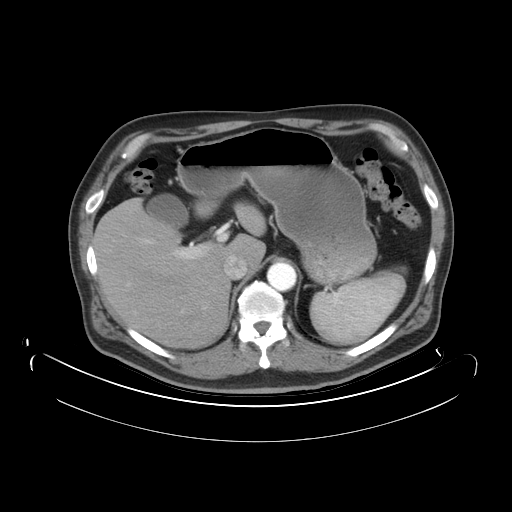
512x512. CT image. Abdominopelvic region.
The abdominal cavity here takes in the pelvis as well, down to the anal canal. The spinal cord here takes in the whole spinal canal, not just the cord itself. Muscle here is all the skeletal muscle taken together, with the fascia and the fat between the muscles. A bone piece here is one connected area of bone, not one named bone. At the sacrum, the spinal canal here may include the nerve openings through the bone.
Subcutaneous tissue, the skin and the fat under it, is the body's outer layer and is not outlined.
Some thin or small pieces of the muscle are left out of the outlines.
{"muscle":[{"outer":[[284,117],[387,121],[399,127],[422,154],[445,209],[445,237],[428,321],[362,361],[341,370],[285,372],[270,367],[267,355],[270,346],[278,341],[289,346],[289,331],[301,337],[295,324],[308,338],[320,344],[348,348],[342,352],[350,357],[384,342],[397,329],[398,325],[393,322],[411,303],[422,279],[426,285],[435,271],[437,259],[431,244],[431,210],[436,210],[439,203],[434,190],[427,183],[422,183],[412,164],[391,151],[374,131],[325,134],[311,128],[260,122],[191,139],[154,142],[143,147],[151,133],[136,135],[120,153],[119,156],[127,161],[115,175],[105,196],[102,187],[94,191],[85,201],[84,211],[87,214],[95,212],[91,244],[85,252],[87,268],[93,277],[96,276],[109,307],[138,344],[172,360],[175,356],[168,350],[195,352],[209,348],[226,335],[231,324],[231,331],[236,332],[241,350],[249,342],[258,347],[260,355],[257,363],[261,368],[219,379],[192,377],[165,367],[121,341],[100,335],[91,323],[90,293],[81,268],[79,210],[84,195],[112,150],[126,135],[140,130]],"hole":[[370,123],[379,123],[383,125],[389,126],[392,128],[395,131],[396,135],[399,138],[402,139],[407,144],[408,146],[408,150],[406,152],[401,153],[393,149],[393,147],[389,141],[387,136],[385,134],[383,134],[377,130],[370,128],[368,126]]}],"spinal_cord":[[[261,321],[264,321],[265,322],[267,322],[268,323],[269,323],[269,326],[268,327],[268,328],[265,331],[265,332],[263,334],[261,334],[255,328],[255,327],[254,326],[254,325],[256,323],[257,323],[258,322],[260,322]]],"torso":[[[334,103],[371,104],[400,114],[423,137],[442,173],[453,207],[454,243],[440,322],[434,337],[417,352],[349,383],[263,396],[200,393],[172,387],[99,352],[88,340],[83,327],[69,261],[68,216],[76,188],[106,138],[125,122],[154,113],[263,111]]],"bones":[{"outer":[[254,280],[268,284],[281,294],[285,301],[284,316],[291,316],[300,335],[298,337],[289,330],[289,345],[278,340],[266,349],[268,368],[262,368],[258,363],[259,347],[249,341],[241,349],[237,332],[232,331],[232,321],[238,316],[237,299],[244,287]],"hole":[[261,321],[264,321],[265,322],[267,322],[268,323],[269,323],[269,326],[268,327],[268,328],[265,331],[265,332],[263,334],[261,334],[255,328],[255,327],[254,326],[254,325],[256,323],[257,323],[258,322],[260,322]]},[[392,323],[395,323],[397,325],[396,329],[384,341],[378,344],[376,346],[356,356],[350,356],[349,355],[346,355],[343,352],[349,348],[351,348],[354,346],[357,346],[365,342],[367,340],[368,340],[370,338],[371,338],[373,336],[383,330],[387,326]],[[370,123],[379,123],[383,125],[389,126],[392,128],[395,131],[396,135],[399,138],[402,139],[407,144],[408,146],[408,150],[406,152],[401,153],[393,149],[393,147],[389,141],[387,136],[385,134],[383,134],[377,130],[370,128],[368,126]],[[128,327],[135,330],[146,338],[149,339],[151,341],[154,342],[156,344],[166,349],[174,356],[174,358],[172,359],[171,358],[168,358],[167,357],[165,357],[164,356],[159,355],[149,350],[147,348],[144,347],[142,345],[138,343],[127,332],[126,329]],[[144,133],[150,133],[150,136],[144,142],[141,148],[137,152],[137,153],[131,159],[129,160],[122,158],[120,156],[120,155],[123,151],[125,146],[128,143],[128,142],[136,136],[138,135],[140,135],[141,134],[143,134]],[[431,245],[433,247],[434,251],[435,252],[436,263],[435,264],[435,268],[434,269],[434,271],[430,279],[428,281],[428,282],[426,284],[425,284],[423,281],[423,272],[424,271],[424,267],[425,266],[425,263],[426,262],[426,258],[428,254],[428,251]],[[101,188],[102,188],[104,190],[104,198],[103,199],[102,202],[100,204],[99,207],[94,212],[93,212],[92,213],[87,213],[85,211],[85,204],[86,203],[86,201],[88,199],[88,198],[94,192],[97,191],[99,189],[100,189]],[[424,183],[427,184],[433,190],[433,191],[435,193],[435,194],[436,195],[436,197],[437,198],[437,202],[438,203],[438,205],[437,206],[437,208],[436,209],[431,209],[431,208],[430,207],[430,206],[424,195],[424,193],[422,190],[422,184],[423,184]],[[89,245],[91,245],[92,246],[93,248],[93,252],[95,256],[95,262],[96,263],[96,268],[97,269],[96,270],[96,274],[94,276],[93,276],[91,274],[88,268],[88,265],[87,264],[87,261],[86,260],[86,252],[87,251],[87,248]]],"abdominal_cavity":[[[260,123],[325,135],[374,132],[391,152],[406,159],[431,213],[421,281],[397,318],[351,347],[308,337],[286,310],[282,294],[254,279],[239,293],[237,313],[219,341],[195,351],[167,349],[128,326],[102,293],[92,245],[96,212],[120,169],[142,148]]]}